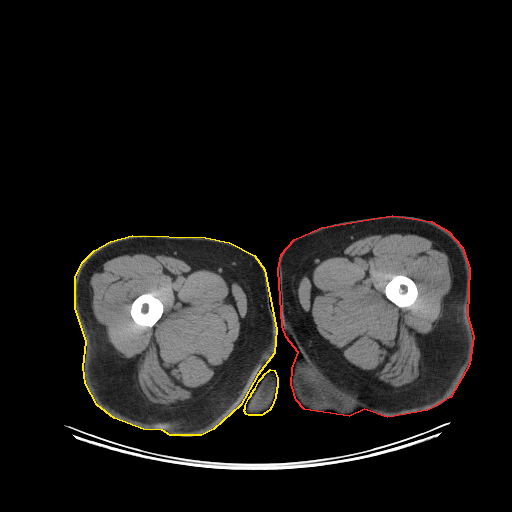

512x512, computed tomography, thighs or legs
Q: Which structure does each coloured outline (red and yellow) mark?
A: red: left leg; yellow: right leg.
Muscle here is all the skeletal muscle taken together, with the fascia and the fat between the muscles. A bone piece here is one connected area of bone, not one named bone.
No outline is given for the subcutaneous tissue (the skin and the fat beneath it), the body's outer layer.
Outlines (x, y in pixels):
left leg: 392,215 431,221 448,231 462,247 469,268 467,315 473,336 469,364 450,397 427,410 387,417 364,409 349,416 304,409 296,400 291,384 292,368 298,352 286,337 282,326 278,269 281,254 294,239 321,227
right leg 1: 132,235 205,237 229,242 254,255 264,269 276,329 274,353 257,375 240,405 213,429 201,435 170,435 162,430 143,429 114,418 97,405 85,383 83,367 86,341 75,308 75,277 82,262 94,250 110,241
right leg 2: 270,369 274,370 277,378 277,387 276,388 276,393 275,394 275,397 271,407 269,410 261,415 248,415 246,414 244,411 244,409 245,408 245,405 249,397 251,395 251,393 255,388 259,380 263,376 263,375
muscle 1: 129,253 144,253 153,256 163,254 173,256 186,262 203,265 237,282 248,295 246,338 216,383 199,400 189,406 162,411 148,403 139,391 132,363 116,353 107,341 93,314 89,296 90,278 92,274 107,260; inner edge: 144,293 153,293 153,294 161,301 163,305 163,312 162,313 161,317 153,325 153,326 151,327 149,327 148,326 142,326 141,325 137,324 133,320 130,314 130,308 131,307 131,304 132,302 138,296
muscle 2: 384,233 410,233 425,237 438,245 447,255 451,266 451,288 443,299 442,315 430,332 424,345 420,381 404,390 380,390 367,384 320,337 301,307 297,293 301,278 320,261 329,258 334,252 349,245 358,238; inner edge: 394,275 405,275 409,277 414,281 417,287 417,297 415,301 411,305 407,307 399,307 393,302 389,300 386,297 385,295 385,293 384,292 384,289 385,288 385,286 388,282 388,281 392,277 392,276
bones 1: 144,293 153,293 153,294 161,301 163,305 163,312 162,313 161,317 153,325 153,326 151,327 149,327 148,326 142,326 141,325 137,324 133,320 130,314 130,308 131,307 131,304 132,302 138,296
bones 2: 394,275 405,275 409,277 414,281 417,287 417,297 415,301 411,305 407,307 399,307 393,302 389,300 386,297 385,295 385,293 384,292 384,289 385,288 385,286 388,282 388,281 392,277 392,276